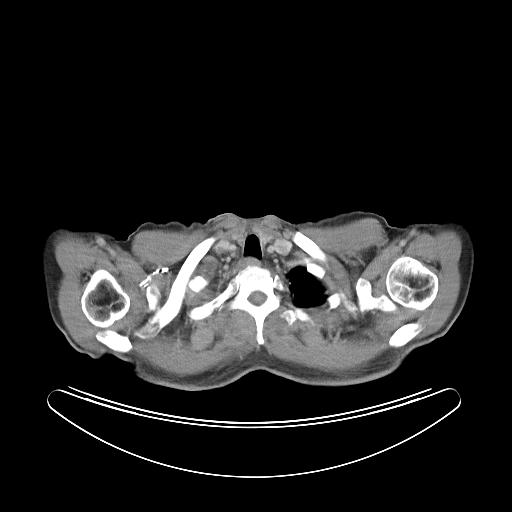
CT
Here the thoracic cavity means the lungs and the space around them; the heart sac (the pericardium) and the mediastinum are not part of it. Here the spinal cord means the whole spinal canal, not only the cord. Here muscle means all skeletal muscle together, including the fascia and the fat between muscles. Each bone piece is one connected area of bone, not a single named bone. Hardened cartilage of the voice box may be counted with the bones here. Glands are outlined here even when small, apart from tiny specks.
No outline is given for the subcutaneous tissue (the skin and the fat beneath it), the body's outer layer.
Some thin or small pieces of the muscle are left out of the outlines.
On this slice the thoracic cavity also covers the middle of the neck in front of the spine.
Outlined structures:
spinal cord: 255 291; 259 291; 260 292; 262 292; 266 296; 266 298; 265 299; 265 300; 261 304; 260 304; 259 305; 256 305; 255 304; 254 304; 253 303; 252 303; 248 299; 248 298; 249 297; 249 296; 253 292; 254 292
torso: 352 210; 377 213; 394 226; 377 271; 381 294; 420 323; 448 330; 388 375; 328 387; 258 369; 223 387; 182 390; 143 381; 113 356; 81 353; 60 331; 112 330; 133 316; 142 280; 120 239; 145 221; 188 224; 232 212; 297 222
right arm: 62 222; 64 222; 73 227; 93 228; 103 230; 110 233; 117 239; 120 240; 136 265; 141 280; 136 310; 132 316; 123 324; 115 328; 107 330; 60 330; 53 322; 48 309; 46 290; 44 284; 43 270; 42 269; 42 246; 48 233
left arm: 445 220; 459 221; 463 223; 468 229; 473 240; 474 263; 473 264; 473 271; 468 295; 461 312; 449 329; 436 329; 433 327; 430 327; 413 318; 387 299; 382 294; 378 271; 390 237; 395 226; 403 227; 409 223; 413 222; 439 222
muscle 1: 228 215; 242 221; 273 217; 291 227; 302 224; 333 226; 371 217; 380 222; 390 239; 413 228; 453 229; 462 240; 459 259; 461 283; 457 300; 437 330; 414 338; 424 326; 419 321; 403 323; 387 341; 390 347; 399 348; 387 350; 355 370; 340 373; 321 371; 285 361; 262 348; 220 368; 179 376; 157 369; 129 353; 133 348; 129 336; 109 327; 126 315; 131 300; 108 270; 98 268; 84 286; 80 307; 87 320; 101 329; 95 333; 95 338; 110 349; 101 352; 88 349; 73 338; 58 308; 57 291; 62 272; 53 250; 56 236; 63 232; 86 238; 101 235; 108 242; 129 250; 134 237; 142 230; 193 230; 210 226; inner edges: 242 230; 283 237; 302 266; 320 265; 327 297; 341 292; 356 305; 360 277; 370 282; 374 297; 386 294; 387 271; 402 255; 437 276; 437 293; 423 310; 398 304; 394 311; 352 312; 342 300; 332 309; 325 301; 302 308; 313 323; 297 319; 289 325; 280 314; 293 296; 283 292; 280 306; 264 319; 259 344; 255 320; 244 310; 215 309; 198 320; 187 314; 245 267; 225 265; 211 252, then 211 236; 215 240; 190 276; 201 276; 207 284; 198 292; 187 286; 180 310; 155 336; 146 339; 136 336; 135 331; 154 313; 148 310; 145 287; 152 282; 157 286; 160 292; 158 305; 161 306; 167 300; 172 283; 187 256; 197 244, then 296 230; 300 231; 303 234; 307 236; 319 247; 319 248; 325 254; 325 260; 322 261; 321 260; 319 260; 317 258; 314 258; 312 257; 307 252; 306 252; 303 249; 302 249; 293 241; 292 239; 292 237; 293 236; 293 233
muscle 2: 267 267; 273 267; 274 268; 275 268; 275 269; 276 270; 279 271; 282 274; 283 274; 283 275; 284 276; 284 277; 286 280; 286 282; 287 283; 287 284; 283 280; 283 279; 277 273; 275 273; 274 274; 272 274; 271 271
bones 1: 402 255; 419 260; 437 276; 436 296; 425 309; 416 310; 398 304; 394 311; 375 308; 352 312; 342 300; 336 307; 329 309; 326 298; 336 292; 343 293; 349 302; 358 303; 355 286; 360 277; 370 282; 374 297; 386 294; 387 271
bones 2: 248 265; 267 268; 272 275; 277 274; 289 288; 289 291; 281 294; 280 306; 264 319; 263 344; 257 342; 254 318; 244 310; 223 309; 219 311; 215 309; 209 316; 198 320; 190 319; 187 314; 193 307; 211 300; 220 293; 230 279 with a hole at 255 291; 259 291; 260 292; 262 292; 266 296; 266 298; 265 299; 265 300; 261 304; 260 304; 259 305; 256 305; 255 304; 254 304; 253 303; 252 303; 248 299; 248 298; 249 297; 249 296; 253 292; 254 292
bones 3: 98 269; 105 269; 108 271; 129 296; 129 308; 125 315; 116 320; 108 327; 112 330; 128 336; 132 345; 132 348; 128 352; 123 353; 115 351; 100 342; 95 335; 98 331; 102 329; 91 323; 82 311; 81 297; 85 286; 93 272
bones 4: 211 236; 215 240; 190 276; 201 276; 207 284; 198 292; 187 286; 180 310; 155 336; 146 339; 136 336; 135 331; 154 313; 148 310; 145 287; 152 282; 157 286; 160 292; 158 305; 161 306; 167 300; 172 283; 187 256; 197 244
bones 5: 410 322; 419 322; 423 326; 423 328; 421 330; 421 331; 412 339; 411 339; 402 346; 400 346; 399 347; 392 347; 390 346; 388 343; 388 341; 389 340; 390 336; 393 333; 393 332; 397 328; 398 328; 403 324; 409 323
bones 6: 296 230; 300 231; 303 234; 307 236; 319 247; 319 248; 325 254; 325 260; 322 261; 321 260; 319 260; 317 258; 314 258; 312 257; 307 252; 306 252; 303 249; 302 249; 293 241; 292 239; 292 237; 293 236; 293 233
bones 7: 289 303; 291 303; 297 307; 300 307; 302 308; 311 317; 311 318; 313 320; 313 323; 311 323; 307 321; 302 321; 299 319; 297 319; 291 325; 289 325; 286 320; 284 318; 280 316; 280 314; 283 309; 285 307; 286 307
bones 8: 307 262; 311 262; 312 263; 315 263; 316 264; 318 264; 319 265; 320 265; 324 269; 325 272; 324 273; 324 275; 323 276; 322 279; 318 279; 315 276; 314 276; 312 274; 311 274; 307 271; 307 270; 306 269; 306 263
thoracic cavity: 248 230; 257 231; 264 244; 275 237; 287 239; 299 257; 301 265; 323 287; 325 301; 312 306; 297 306; 293 302; 293 296; 284 274; 275 267; 256 264; 244 266; 236 263; 225 265; 217 259; 211 252; 221 240; 233 238; 241 242
thyroid glands 1: 258 230; 261 230; 264 233; 265 233; 266 234; 267 234; 268 235; 269 235; 271 237; 271 239; 269 241; 268 241; 266 243; 264 243; 262 241; 262 240; 261 239; 261 238; 260 237; 260 236; 259 235; 259 233; 258 232
thyroid glands 2: 242 230; 244 232; 244 233; 243 234; 243 237; 242 238; 242 239; 241 240; 241 241; 237 241; 237 239; 236 238; 234 238; 233 237; 233 235; 235 233; 237 233; 238 232; 239 232; 240 231; 241 231